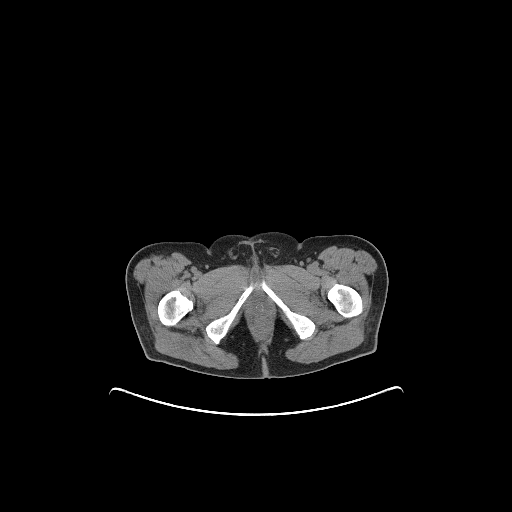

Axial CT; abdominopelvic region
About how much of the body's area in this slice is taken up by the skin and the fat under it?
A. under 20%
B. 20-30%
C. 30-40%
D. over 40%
C. 30-40%
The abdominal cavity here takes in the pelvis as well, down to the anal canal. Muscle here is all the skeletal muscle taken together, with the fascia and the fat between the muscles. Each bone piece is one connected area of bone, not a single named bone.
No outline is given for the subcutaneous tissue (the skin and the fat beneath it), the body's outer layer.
{"bones":[[[172,290],[179,290],[184,296],[186,296],[189,299],[190,299],[193,302],[193,308],[190,311],[189,311],[174,326],[167,326],[166,325],[164,325],[162,324],[160,322],[158,318],[158,315],[157,314],[157,306],[158,305],[158,303],[160,299],[166,293]],[[335,283],[339,283],[340,284],[347,285],[353,288],[359,293],[359,294],[362,298],[362,303],[363,304],[363,309],[361,313],[360,313],[356,316],[353,316],[349,318],[345,318],[343,317],[337,311],[337,310],[332,304],[332,303],[327,298],[327,291]],[[262,280],[264,280],[266,282],[266,283],[275,292],[282,301],[292,311],[296,313],[299,313],[301,315],[305,315],[313,321],[315,324],[315,330],[309,338],[306,339],[300,339],[299,338],[299,336],[295,331],[291,322],[282,310],[261,288],[260,283]],[[252,282],[255,284],[255,286],[238,310],[228,329],[227,333],[221,339],[220,342],[218,344],[214,343],[213,341],[208,337],[206,333],[205,330],[206,325],[212,320],[221,316],[226,315],[236,303],[240,295],[244,290],[244,288]]],"muscle":[{"outer":[[338,244],[365,250],[377,264],[365,338],[357,347],[317,362],[305,364],[291,361],[285,357],[284,352],[295,342],[295,337],[277,313],[273,339],[267,347],[267,353],[263,349],[258,352],[258,345],[243,315],[229,332],[223,346],[237,355],[239,365],[236,368],[207,367],[160,353],[155,349],[140,290],[133,280],[136,264],[152,251],[180,251],[206,272],[237,264],[249,267],[262,267],[265,264],[303,266],[326,247]],"holes":[[[172,290],[179,290],[184,296],[186,296],[189,299],[190,299],[193,302],[193,308],[190,311],[189,311],[174,326],[167,326],[166,325],[164,325],[162,324],[160,322],[158,318],[158,315],[157,314],[157,306],[158,305],[158,303],[160,299],[166,293]],[[335,283],[339,283],[340,284],[347,285],[353,288],[359,293],[359,294],[362,298],[362,303],[363,304],[363,309],[361,313],[360,313],[356,316],[353,316],[349,318],[345,318],[343,317],[337,311],[337,310],[332,304],[332,303],[327,298],[327,291]],[[262,280],[264,280],[266,282],[266,283],[275,292],[282,301],[292,311],[296,313],[299,313],[301,315],[305,315],[313,321],[315,324],[315,330],[309,338],[306,339],[300,339],[299,338],[299,336],[295,331],[291,322],[282,310],[261,288],[260,283]],[[252,282],[255,284],[255,286],[238,310],[228,329],[227,333],[221,339],[220,342],[218,344],[214,343],[213,341],[208,337],[206,333],[205,330],[206,325],[212,320],[221,316],[226,315],[236,303],[240,295],[244,290],[244,288]],[[256,297],[264,298],[268,302],[269,302],[272,306],[272,320],[271,321],[271,325],[270,326],[270,328],[271,329],[269,331],[269,335],[267,339],[259,338],[256,334],[254,333],[252,323],[248,316],[248,314],[246,312],[250,302]]]}],"abdominal_cavity":[[[256,297],[264,298],[268,302],[269,302],[272,306],[272,320],[271,321],[271,325],[270,326],[270,328],[271,329],[269,331],[269,335],[267,339],[259,338],[256,334],[254,333],[252,323],[248,316],[248,314],[246,312],[250,302]]],"torso":[[[268,231],[283,232],[299,241],[311,236],[352,234],[370,241],[380,251],[387,268],[388,288],[376,350],[320,371],[263,379],[212,376],[148,359],[132,322],[126,292],[126,267],[132,255],[141,247],[154,242],[199,242],[208,246],[223,235],[251,235]]]}